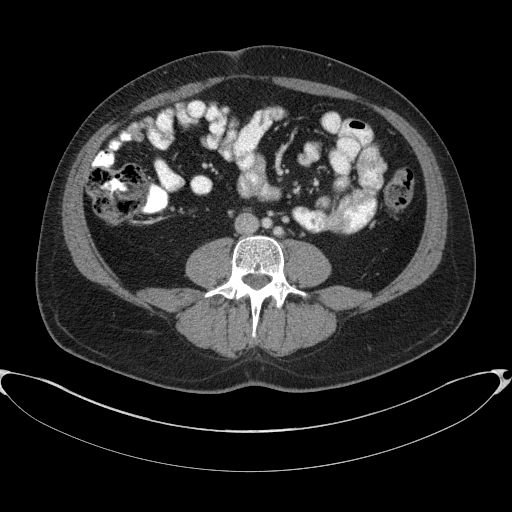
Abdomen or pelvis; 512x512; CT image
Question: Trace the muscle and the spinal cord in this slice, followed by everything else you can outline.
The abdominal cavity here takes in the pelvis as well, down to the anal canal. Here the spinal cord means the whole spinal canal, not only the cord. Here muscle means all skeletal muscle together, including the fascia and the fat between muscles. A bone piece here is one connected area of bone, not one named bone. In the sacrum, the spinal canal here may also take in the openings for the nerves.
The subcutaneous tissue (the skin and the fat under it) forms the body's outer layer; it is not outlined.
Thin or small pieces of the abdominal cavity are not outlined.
Answer: Outlined structures:
muscle: (280, 360) (288, 360) (308, 355) (324, 347) (335, 336) (339, 327) (346, 319) (355, 314) (365, 312) (416, 287) (422, 283) (437, 267) (441, 260) (442, 251) (444, 248) (446, 240) (447, 219) (448, 218) (447, 214) (447, 201) (446, 200) (445, 186) (443, 178) (440, 172) (440, 169) (433, 154) (433, 152) (423, 137) (403, 117) (391, 109) (374, 102) (369, 101) (365, 98) (347, 90) (344, 90) (331, 85) (314, 81) (310, 81) (309, 80) (305, 80) (304, 79) (300, 79) (299, 78) (285, 77) (284, 76) (275, 76) (274, 75) (252, 75) (245, 73) (210, 77) (201, 81) (191, 82) (187, 84) (181, 85) (174, 89) (170, 89) (158, 93) (120, 113) (113, 119) (101, 126) (89, 138) (77, 154) (76, 158) (69, 171) (62, 197) (61, 215) (62, 216) (63, 235) (65, 243) (70, 252) (73, 262) (78, 270) (89, 280) (98, 283) (124, 300) (137, 306) (147, 309) (151, 314) (156, 314) (164, 318) (172, 326) (178, 335) (184, 341) (199, 353) (203, 355) (219, 359) (225, 359) (226, 358) (227, 359) (236, 359) (242, 356) (247, 355) (252, 349) (257, 348) (272, 358) with a hole at (253, 338) (266, 298) (307, 296) (284, 275) (285, 239) (330, 261) (316, 287) (374, 294) (415, 251) (425, 188) (409, 144) (371, 108) (236, 78) (134, 115) (96, 152) (83, 197) (98, 252) (134, 292) (203, 289) (187, 257) (232, 237) (231, 274) (204, 296) (247, 297)
spinal cord: (256, 289) (258, 289) (262, 287) (268, 282) (269, 282) (270, 281) (270, 277) (266, 275) (262, 275) (261, 274) (249, 274) (245, 276) (243, 278) (243, 280) (244, 282) (248, 284) (251, 287) (253, 288) (255, 288)
abdominal cavity: (374, 294) (415, 251) (425, 188) (409, 144) (363, 104) (269, 81) (225, 80) (134, 115) (90, 164) (83, 193) (90, 233) (134, 292) (203, 289) (184, 274) (194, 249) (218, 237) (235, 243) (266, 234) (283, 250) (294, 238) (325, 254) (332, 273) (316, 287) (343, 284)
torso: (198, 394) (251, 385) (296, 393) (351, 385) (430, 352) (464, 319) (475, 287) (476, 255) (458, 171) (427, 118) (383, 80) (291, 46) (202, 51) (159, 65) (116, 89) (89, 113) (68, 143) (47, 193) (35, 261) (36, 299) (47, 332) (61, 349) (87, 362) (148, 384)
bones: (253, 338) (256, 336) (261, 305) (266, 298) (272, 297) (275, 306) (280, 308) (289, 293) (307, 296) (306, 292) (288, 283) (283, 270) (281, 246) (266, 235) (239, 239) (232, 252) (230, 276) (224, 283) (204, 294) (205, 297) (221, 294) (237, 300) (247, 297) (251, 307), around a hole outlined by (256, 289) (258, 289) (262, 287) (268, 282) (269, 282) (270, 281) (270, 277) (266, 275) (262, 275) (261, 274) (249, 274) (245, 276) (243, 278) (243, 280) (244, 282) (248, 284) (251, 287) (253, 288) (255, 288)